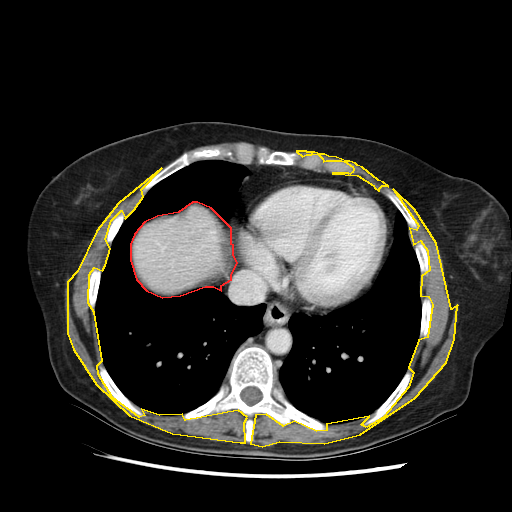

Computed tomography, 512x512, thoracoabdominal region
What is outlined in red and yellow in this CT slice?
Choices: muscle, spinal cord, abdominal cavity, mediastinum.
red: abdominal cavity; yellow: muscle.
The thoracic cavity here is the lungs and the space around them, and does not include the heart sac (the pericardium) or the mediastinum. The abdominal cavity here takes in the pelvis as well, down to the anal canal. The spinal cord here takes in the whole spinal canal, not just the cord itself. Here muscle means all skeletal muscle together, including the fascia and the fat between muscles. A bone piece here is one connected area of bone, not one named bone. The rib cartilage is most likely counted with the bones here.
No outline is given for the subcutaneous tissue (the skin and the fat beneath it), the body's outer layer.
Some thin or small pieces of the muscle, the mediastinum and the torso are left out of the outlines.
The abdominal cavity is outlined by 162,297 180,295 205,286 213,286 221,290 221,285 231,279 231,274 237,263 233,254 233,245 231,244 231,228 211,208 197,202 192,202 178,212 157,216 144,222 134,234 130,244 130,260 136,279 146,290. The muscle appears in 3 outlined pieces: piece 1: 262,446 279,441 324,443 360,434 415,397 446,362 454,339 457,305 451,309 436,243 414,209 393,189 418,225 416,230 409,228 413,244 420,240 427,250 429,270 421,276 420,295 428,296 432,304 427,337 418,340 408,367 413,372 408,387 383,417 366,427 361,424 369,416 326,424 326,430 316,431 294,421 283,426 266,414 255,415 250,443; piece 2: 240,442 245,442 244,422 247,417 238,410 185,420 182,414 159,415 141,409 144,415 139,417 112,397 98,374 97,365 102,360 94,312 88,303 89,274 94,267 102,270 105,265 110,248 105,239 111,220 121,210 125,218 134,209 143,196 141,189 161,168 118,203 96,231 77,271 67,282 67,333 73,349 96,384 129,415 172,433; piece 3: 378,190 379,190 379,188 382,185 386,185 388,186 383,182 378,180 362,167 357,165 355,163 349,161 346,161 336,157 328,156 324,154 320,154 314,152 307,152 306,151 296,151 302,156 306,154 311,154 312,153 318,154 322,158 323,161 326,160 341,160 344,161 352,166 353,169 352,172 349,174 348,173 332,173 357,175 373,185 374,187. The thoracic cavity appears in 2 outlined pieces: piece 1: 159,414 190,410 227,381 237,348 261,330 265,305 234,304 213,287 156,296 135,279 130,240 144,221 192,201 227,223 237,188 249,174 236,162 197,161 151,188 122,224 102,271 95,321 103,363 129,399; piece 2: 324,423 345,423 371,414 386,399 401,379 417,343 421,313 420,273 407,224 396,209 392,248 370,289 359,298 332,310 326,315 308,316 300,312 293,314 289,320 293,345 280,368 276,383 282,387 292,404. The pericardium is outlined by 322,313 355,299 369,288 389,249 391,238 389,217 381,202 373,194 362,188 356,189 337,180 291,178 276,182 264,188 248,203 240,220 234,223 232,227 234,254 238,262 265,281 270,289 285,300 308,311. The torso is outlined by 280,460 323,459 371,449 431,425 466,400 475,359 499,330 507,303 511,238 504,206 477,182 379,141 221,121 184,122 132,135 98,147 50,176 29,216 26,261 60,386 99,419 141,441 201,455. The spinal cord is outlined by 249,405 252,405 253,404 256,403 258,401 259,401 262,397 262,394 261,393 261,392 256,387 254,387 253,386 249,386 248,387 246,387 242,390 242,391 240,394 240,396 241,397 241,398 247,404 248,404. The bones appear in 9 outlined pieces: piece 1: 248,443 253,440 252,417 258,413 266,413 283,425 294,420 316,430 327,428 287,400 275,383 277,378 270,356 257,346 238,350 228,370 228,381 208,401 183,414 185,419 194,419 238,409 248,417 244,436; inner edge: 249,405 252,405 253,404 256,403 258,401 259,401 262,397 262,394 261,393 261,392 256,387 254,387 253,386 249,386 248,387 246,387 242,390 242,391 240,394 240,396 241,397 241,398 247,404 248,404; piece 2: 143,195 170,174 201,159 227,157 242,164 297,164 313,170 322,165 330,172 349,173 352,169 341,161 323,162 314,154 302,157 296,152 269,152 264,146 255,148 240,143 233,150 213,147 182,153 144,186; piece 3: 362,426 366,426 367,425 371,425 373,424 382,416 383,416 398,400 398,399 401,396 407,387 409,383 409,381 411,378 412,372 410,368 408,368 402,379 396,388 392,392 392,393 370,416 370,417 362,424; piece 4: 139,416 142,416 143,415 140,409 130,400 129,400 122,393 122,392 114,383 104,366 102,364 99,363 98,365 99,374 101,377 101,379 103,383 105,385 109,392 124,408 125,408 130,412 132,412; piece 5: 412,229 416,229 417,228 417,225 411,213 408,210 400,198 390,188 386,186 382,186 380,188 381,192 383,193 384,195 385,195 386,197 390,200 396,208 401,212 405,218 408,224 408,226; piece 6: 419,338 425,338 426,337 427,332 429,329 429,325 430,324 430,320 431,319 431,304 430,303 430,300 428,297 425,297 422,299 422,309 421,310 422,311 422,313 421,314 421,325 420,326 420,332 419,333; piece 7: 92,311 94,311 94,309 95,308 95,302 97,298 97,292 99,287 99,281 100,280 100,276 101,275 101,271 100,269 98,268 94,268 93,269 90,274 90,277 89,278 89,303 90,304 90,307; piece 8: 421,275 424,275 428,270 428,266 427,265 427,254 426,253 426,250 423,244 420,241 417,241 414,245 414,249 415,250 415,252 416,253 416,255 417,256 417,258 419,262 419,266 420,267 420,272 421,273; piece 9: 110,244 112,242 115,235 117,233 121,224 124,220 124,213 123,211 121,211 112,220 110,224 110,226 109,227 109,229 107,233 107,238 106,239 106,241 107,243 109,243. The mediastinum appears in 2 outlined pieces: piece 1: 277,377 292,345 288,327 290,316 300,311 308,315 323,315 330,311 323,314 312,313 290,304 238,263 232,279 222,285 222,291 237,304 263,302 266,305 262,330 248,338 238,349 250,345 264,348 272,358; piece 2: 386,259 393,240 395,207 363,179 357,176 316,172 297,166 244,165 250,174 242,180 238,188 240,196 228,223 230,227 239,220 247,203 271,183 291,177 337,179 356,188 367,189 382,202 392,223 392,238.